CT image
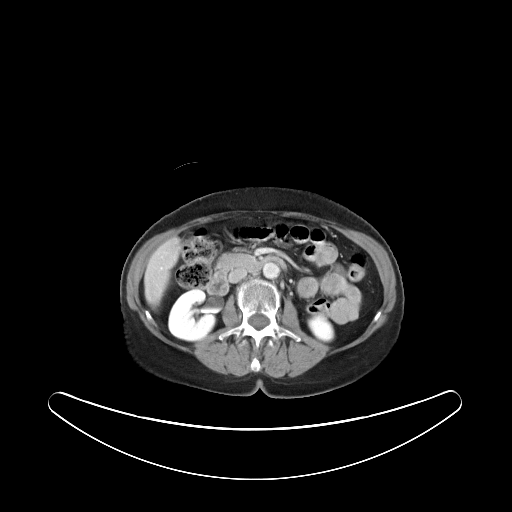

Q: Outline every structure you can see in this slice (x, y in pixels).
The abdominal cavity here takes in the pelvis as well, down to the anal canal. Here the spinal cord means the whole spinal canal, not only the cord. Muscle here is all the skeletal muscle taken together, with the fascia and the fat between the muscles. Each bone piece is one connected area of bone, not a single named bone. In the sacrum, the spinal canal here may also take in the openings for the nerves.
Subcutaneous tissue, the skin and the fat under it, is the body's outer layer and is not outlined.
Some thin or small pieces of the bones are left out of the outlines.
A: {"torso":[[[248,185],[276,185],[323,194],[365,218],[389,244],[399,265],[404,287],[401,329],[389,357],[360,380],[300,398],[272,398],[260,389],[249,396],[228,396],[152,383],[138,375],[126,362],[122,353],[119,280],[124,260],[135,241],[161,216],[194,198]]],"abdominal_cavity":[[[249,213],[316,222],[367,252],[381,282],[382,303],[357,337],[340,345],[313,337],[302,329],[288,297],[278,323],[281,293],[259,277],[236,287],[241,322],[232,294],[221,309],[223,325],[205,337],[185,344],[162,331],[140,299],[150,254],[191,226]]],"bones":[{"outer":[[256,278],[276,286],[281,301],[275,312],[275,321],[299,336],[300,341],[284,335],[270,346],[268,340],[271,338],[266,336],[255,349],[254,340],[250,336],[241,336],[238,340],[235,334],[218,338],[242,322],[243,312],[236,303],[236,290],[243,282]],"hole":[[255,314],[261,314],[262,315],[264,315],[268,319],[268,320],[269,321],[268,324],[267,325],[264,326],[262,328],[261,328],[260,329],[256,329],[253,326],[252,326],[248,322],[248,320],[249,319],[249,318],[251,316],[252,316]]},[[253,357],[256,357],[258,359],[258,360],[259,361],[259,363],[260,364],[260,369],[259,370],[259,371],[258,371],[257,372],[255,372],[254,371],[252,371],[251,370],[251,368],[250,367],[250,364],[251,363],[251,361],[252,360],[252,359],[253,358]],[[145,310],[147,310],[149,312],[149,313],[151,315],[151,316],[153,318],[153,319],[154,320],[154,321],[155,322],[155,325],[154,324],[153,324],[151,322],[150,322],[147,319],[147,318],[146,317],[146,315],[145,314]]],"muscle":[{"outer":[[257,209],[261,209],[262,210],[285,210],[286,211],[297,211],[298,212],[303,212],[304,213],[315,215],[319,217],[322,217],[326,219],[333,220],[345,227],[360,232],[363,232],[371,236],[374,239],[378,241],[383,246],[387,252],[388,256],[391,261],[394,270],[394,273],[395,274],[395,278],[396,279],[396,301],[393,309],[389,314],[387,321],[381,327],[375,331],[366,340],[363,341],[361,343],[353,347],[343,350],[340,352],[327,356],[304,373],[298,376],[292,378],[288,378],[287,379],[285,378],[273,378],[261,373],[252,373],[240,377],[237,377],[232,375],[224,375],[223,374],[217,373],[207,368],[193,355],[184,352],[172,346],[170,346],[164,343],[153,335],[144,326],[136,313],[128,306],[126,300],[126,277],[129,269],[129,266],[137,250],[143,244],[143,243],[149,238],[158,233],[163,232],[170,228],[179,226],[181,224],[197,217],[205,216],[209,214],[218,213],[224,211],[231,211],[232,210],[256,210]],"holes":[[[249,213],[316,222],[365,250],[382,286],[378,319],[334,345],[304,331],[285,297],[278,324],[301,340],[284,335],[270,346],[266,336],[255,349],[250,336],[218,338],[241,323],[232,294],[221,327],[189,344],[168,337],[140,299],[150,254],[191,226]],[[253,357],[256,357],[258,359],[258,360],[259,361],[259,363],[260,364],[260,369],[259,370],[259,371],[258,371],[257,372],[255,372],[254,371],[252,371],[251,370],[251,368],[250,367],[250,364],[251,363],[251,361],[252,360],[252,359],[253,358]]]}],"spinal_cord":[[[255,314],[261,314],[262,315],[264,315],[268,319],[268,320],[269,321],[268,324],[267,325],[264,326],[262,328],[261,328],[260,329],[256,329],[253,326],[252,326],[248,322],[248,320],[249,319],[249,318],[251,316],[252,316]]]}